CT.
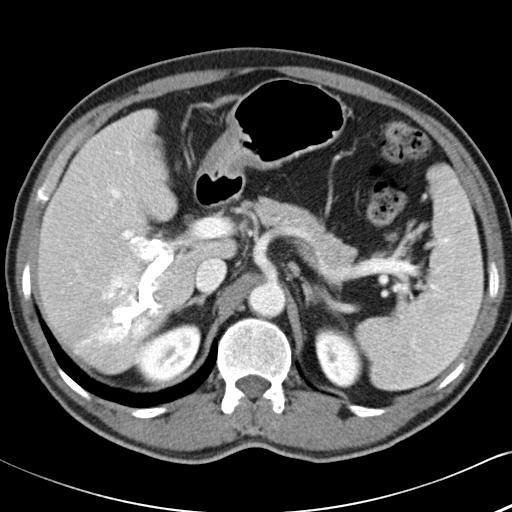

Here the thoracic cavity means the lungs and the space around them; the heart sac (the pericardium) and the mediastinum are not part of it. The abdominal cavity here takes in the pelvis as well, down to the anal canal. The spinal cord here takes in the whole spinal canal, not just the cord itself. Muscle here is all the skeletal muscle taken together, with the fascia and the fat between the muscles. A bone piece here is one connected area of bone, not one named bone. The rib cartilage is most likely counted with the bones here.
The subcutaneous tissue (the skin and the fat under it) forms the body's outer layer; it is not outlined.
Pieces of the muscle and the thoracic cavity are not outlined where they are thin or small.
{"torso":[[[235,46],[321,54],[416,88],[441,105],[468,133],[508,203],[511,326],[453,407],[385,449],[325,463],[261,447],[201,464],[154,458],[109,441],[66,412],[36,375],[14,331],[4,279],[14,202],[29,167],[58,122],[88,93],[127,71],[179,55]]],"bones":[{"outer":[[249,317],[262,319],[277,325],[285,334],[291,348],[292,362],[287,376],[282,382],[286,400],[280,413],[276,413],[273,410],[269,400],[264,400],[255,406],[242,401],[231,413],[225,413],[221,409],[225,382],[216,366],[218,341],[228,326],[240,319]],"hole":[[248,375],[256,375],[262,378],[264,378],[269,382],[269,386],[268,388],[267,388],[259,397],[256,397],[255,398],[251,398],[250,397],[248,397],[243,392],[242,390],[241,390],[238,387],[237,387],[236,385],[237,381],[239,379],[245,376],[247,376]]},[[73,138],[74,138],[74,140],[71,145],[71,149],[64,163],[62,170],[56,181],[56,183],[49,195],[49,198],[43,204],[40,202],[36,203],[35,198],[37,190],[43,183],[47,175],[48,170],[53,164],[55,159],[60,152],[62,151],[64,147]],[[491,261],[494,261],[495,262],[497,268],[497,271],[498,272],[498,276],[499,277],[499,286],[498,287],[497,294],[496,296],[493,298],[490,297],[489,295],[489,291],[488,290],[488,283],[489,282],[488,281],[489,280],[488,279],[488,266],[489,263]],[[349,404],[357,404],[358,405],[362,405],[363,406],[368,406],[369,407],[375,407],[376,408],[383,408],[385,409],[385,412],[379,415],[373,415],[372,416],[365,416],[364,417],[361,417],[360,416],[358,416],[352,413],[348,409],[347,407],[347,405]],[[155,406],[165,406],[167,408],[167,411],[162,414],[160,414],[159,415],[158,415],[157,416],[155,416],[154,417],[147,417],[146,418],[141,418],[140,417],[136,417],[135,416],[133,416],[130,412],[130,409],[131,408],[148,408],[149,407],[154,407]],[[57,366],[59,366],[74,381],[75,381],[79,385],[80,385],[85,390],[89,392],[90,394],[90,399],[89,400],[86,399],[84,397],[83,397],[81,395],[77,393],[74,390],[73,390],[64,381],[64,380],[61,377],[61,376],[59,374],[57,370]],[[27,262],[29,264],[29,265],[30,266],[30,280],[31,281],[31,294],[30,295],[30,298],[27,300],[24,298],[24,296],[23,295],[23,292],[22,291],[22,272],[23,271],[23,269],[24,268],[24,266],[25,265],[25,264]],[[462,360],[464,360],[465,361],[465,365],[464,366],[464,368],[461,371],[461,372],[453,380],[452,380],[444,387],[443,387],[438,390],[436,390],[436,387],[438,385],[438,384],[450,372],[451,372],[452,371],[452,370],[453,370],[456,367],[456,366]]],"thoracic_cavity":[[[34,301],[43,322],[65,355],[89,378],[110,388],[134,394],[145,394],[155,393],[175,386],[193,375],[204,364],[210,353],[214,340],[217,341],[215,365],[205,380],[196,389],[183,396],[154,406],[130,407],[100,397],[85,389],[59,365],[41,327]]],"abdominal_cavity":[[[258,70],[316,82],[404,113],[433,137],[461,178],[483,228],[487,293],[460,361],[433,385],[382,407],[314,389],[293,362],[282,329],[249,316],[212,341],[189,377],[155,392],[134,393],[89,377],[44,322],[32,295],[36,238],[74,151],[134,103]]],"muscle":[{"outer":[[249,66],[304,66],[335,72],[372,84],[396,96],[402,101],[409,104],[416,109],[430,115],[447,128],[459,140],[469,153],[488,186],[495,206],[503,246],[504,266],[505,267],[505,290],[499,307],[498,315],[492,331],[483,342],[480,349],[475,356],[468,372],[447,396],[415,415],[405,424],[391,434],[368,444],[364,444],[359,446],[352,446],[346,448],[340,448],[339,449],[331,449],[330,450],[310,450],[300,447],[280,444],[269,440],[261,435],[244,435],[232,441],[222,443],[215,446],[209,446],[195,450],[174,450],[168,448],[156,447],[143,442],[137,441],[119,433],[108,426],[95,415],[87,411],[82,406],[70,398],[54,382],[48,374],[42,360],[38,355],[38,353],[32,343],[30,335],[28,333],[27,326],[22,315],[20,299],[16,288],[16,282],[15,281],[15,268],[16,267],[15,266],[16,265],[16,250],[20,237],[23,218],[32,188],[38,174],[49,152],[62,133],[75,120],[95,106],[150,81],[183,72],[205,70],[206,69],[215,69],[216,68],[237,68],[238,67],[248,67]],"hole":[[258,70],[277,71],[394,108],[417,122],[443,149],[479,215],[487,265],[494,261],[499,277],[497,294],[492,298],[487,291],[461,356],[464,368],[438,390],[438,381],[383,406],[385,412],[379,415],[364,417],[348,409],[347,405],[354,403],[348,399],[308,385],[293,362],[282,382],[286,400],[280,413],[273,410],[269,400],[255,406],[242,401],[231,413],[223,412],[225,382],[215,365],[196,389],[158,404],[167,411],[154,417],[133,416],[129,406],[91,392],[90,399],[86,399],[59,374],[33,297],[31,294],[25,299],[22,291],[22,272],[27,262],[32,270],[38,228],[49,202],[36,203],[38,188],[73,138],[57,184],[74,151],[120,110],[173,91]]}],"spinal_cord":[[[248,375],[256,375],[262,378],[264,378],[269,382],[269,386],[268,388],[267,388],[259,397],[256,397],[255,398],[251,398],[250,397],[248,397],[243,392],[242,390],[241,390],[238,387],[237,387],[236,385],[237,381],[239,379],[245,376],[247,376]]]}